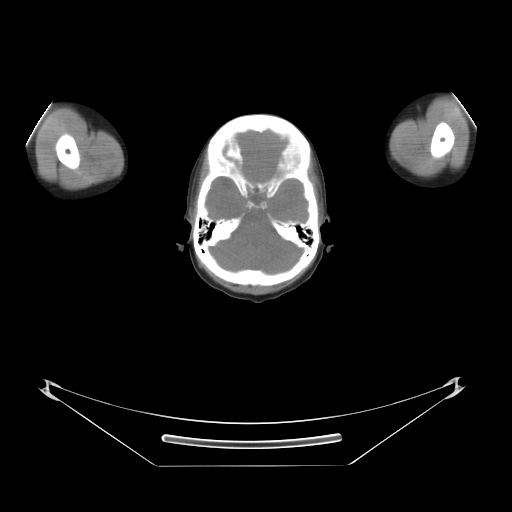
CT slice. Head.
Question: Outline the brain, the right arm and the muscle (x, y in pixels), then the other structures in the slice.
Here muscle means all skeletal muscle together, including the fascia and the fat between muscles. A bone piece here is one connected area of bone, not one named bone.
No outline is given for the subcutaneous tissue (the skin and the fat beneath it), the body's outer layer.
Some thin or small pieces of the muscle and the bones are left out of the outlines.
Answer: {"brain":[[[219,177],[232,181],[248,209],[267,207],[264,199],[251,199],[250,192],[256,190],[270,199],[286,180],[301,184],[304,221],[268,216],[275,232],[302,250],[291,266],[266,272],[232,270],[218,262],[210,248],[229,239],[243,219],[209,215],[207,197]],[[267,130],[278,136],[280,139],[286,140],[286,143],[280,151],[279,154],[280,155],[276,164],[277,173],[265,180],[252,181],[245,176],[242,170],[242,165],[243,164],[242,150],[239,143],[236,139],[236,136],[238,134],[243,134],[249,131],[262,133]]],"right_arm":[[[56,99],[71,99],[89,104],[107,117],[117,128],[122,136],[128,151],[129,167],[127,174],[124,179],[110,192],[98,197],[85,199],[80,201],[60,202],[59,201],[55,201],[48,197],[38,187],[32,178],[26,159],[24,143],[37,118],[45,108]]],"muscle":[{"outer":[[58,109],[65,109],[75,112],[85,119],[89,128],[104,132],[112,136],[116,141],[117,140],[122,149],[124,157],[124,166],[119,176],[86,188],[78,190],[67,190],[56,183],[48,182],[42,179],[38,175],[35,159],[35,136],[44,124],[47,117]],"hole":[[64,133],[68,133],[74,138],[75,142],[76,143],[76,145],[77,146],[77,148],[78,149],[79,157],[80,158],[79,159],[79,165],[78,167],[75,169],[71,169],[64,165],[59,160],[56,153],[56,150],[55,149],[55,144],[58,138]]},{"outer":[[452,93],[462,108],[468,124],[468,135],[470,137],[465,163],[463,167],[457,171],[451,171],[447,168],[433,178],[421,178],[406,170],[391,158],[389,140],[392,131],[402,120],[407,118],[418,118],[425,111],[430,101],[436,96],[441,94],[450,95]],"hole":[[441,121],[444,121],[446,122],[452,129],[453,131],[453,133],[454,134],[454,142],[449,152],[448,152],[445,155],[444,155],[440,158],[434,158],[430,153],[430,144],[431,143],[431,139],[432,138],[432,135],[435,129],[435,127],[436,125]]},[[317,251],[316,257],[310,267],[292,284],[276,292],[261,295],[253,295],[252,294],[234,292],[218,284],[200,268],[195,256],[195,254],[203,265],[211,273],[226,282],[244,286],[247,285],[251,286],[273,286],[290,280],[296,276],[309,265],[315,257]],[[205,149],[206,151],[206,160],[207,161],[207,172],[201,181],[199,186],[199,189],[196,197],[196,202],[195,203],[196,212],[194,216],[193,223],[192,223],[189,218],[189,206],[190,205],[190,198],[191,197],[191,189],[195,174],[200,164],[201,158]],[[312,151],[316,162],[317,172],[318,173],[320,183],[321,184],[321,193],[322,194],[323,208],[324,209],[324,217],[323,218],[323,220],[320,224],[319,223],[319,208],[318,207],[318,202],[315,194],[314,185],[309,177],[309,168],[311,164],[311,152]]],"head":[[[257,112],[287,118],[313,142],[331,217],[321,228],[321,234],[326,242],[334,244],[330,252],[323,253],[303,284],[260,303],[234,298],[209,286],[194,270],[188,246],[179,251],[175,244],[184,243],[190,230],[182,216],[190,171],[204,142],[224,122]]],"left_arm":[[[438,88],[446,88],[452,93],[454,92],[478,127],[477,140],[472,163],[469,170],[461,180],[446,187],[425,188],[412,185],[404,181],[398,177],[389,168],[386,163],[384,156],[384,138],[386,131],[392,119],[404,104],[414,96],[424,91]]],"bones":[{"outer":[[248,114],[270,114],[279,116],[288,120],[302,132],[309,142],[311,148],[310,164],[308,168],[308,177],[313,185],[314,194],[317,202],[320,241],[314,257],[306,267],[302,269],[292,278],[273,285],[251,285],[250,284],[244,285],[226,281],[215,275],[204,265],[196,255],[193,247],[192,226],[197,212],[196,208],[197,197],[202,181],[208,172],[208,161],[206,150],[207,144],[213,134],[224,123],[235,117]],"holes":[[[219,177],[232,181],[248,209],[267,207],[264,199],[251,199],[250,192],[256,190],[270,199],[286,180],[301,184],[304,221],[268,216],[275,232],[302,250],[291,266],[266,272],[232,270],[218,262],[210,248],[229,239],[243,219],[209,215],[207,197]],[[267,130],[278,136],[280,139],[286,140],[286,143],[280,151],[279,154],[280,155],[276,164],[277,173],[265,180],[252,181],[245,176],[242,170],[242,165],[243,164],[242,150],[239,143],[236,139],[236,136],[238,134],[243,134],[249,131],[262,133]]]},[[441,121],[444,121],[446,122],[452,129],[453,131],[453,133],[454,134],[454,142],[449,152],[448,152],[445,155],[444,155],[440,158],[434,158],[430,153],[430,144],[431,143],[431,139],[432,138],[432,135],[435,129],[435,127],[436,125]],[[64,133],[68,133],[74,138],[75,142],[76,143],[76,145],[77,146],[77,148],[78,149],[79,157],[80,158],[79,159],[79,165],[78,167],[75,169],[71,169],[64,165],[59,160],[56,153],[56,150],[55,149],[55,144],[58,138]]]}